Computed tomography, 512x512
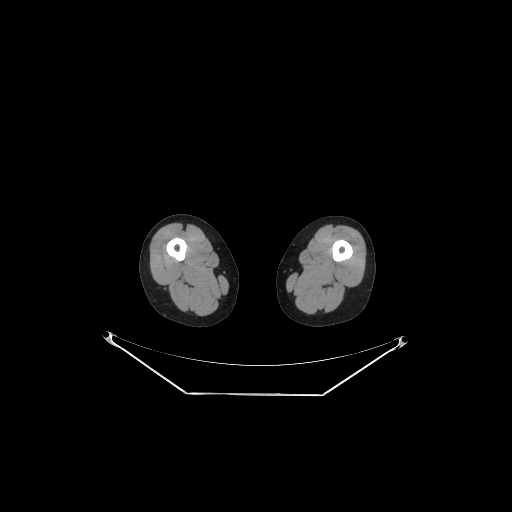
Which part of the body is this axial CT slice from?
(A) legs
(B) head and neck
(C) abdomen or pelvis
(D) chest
Answer: (A) legs
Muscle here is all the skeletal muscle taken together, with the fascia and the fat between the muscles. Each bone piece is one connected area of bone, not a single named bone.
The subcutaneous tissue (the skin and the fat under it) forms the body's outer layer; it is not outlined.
{"bones":[[[337,239],[344,239],[348,242],[349,242],[351,244],[352,246],[352,249],[353,250],[353,253],[350,258],[346,260],[343,260],[342,261],[340,261],[339,262],[337,262],[333,259],[332,257],[332,251],[331,250],[331,247],[332,246],[332,244],[333,242]],[[174,237],[180,237],[181,238],[183,238],[185,240],[187,244],[187,248],[185,252],[185,257],[184,259],[181,261],[178,261],[176,260],[173,257],[171,257],[169,255],[168,255],[166,251],[166,244],[167,242],[170,239]]],"left_leg":[[[327,215],[344,215],[351,217],[358,221],[367,230],[372,240],[375,251],[376,275],[369,301],[366,307],[359,315],[346,322],[321,327],[312,327],[298,323],[292,320],[282,311],[278,303],[276,295],[276,272],[278,264],[282,256],[295,235],[310,222]]],"right_leg":[[[178,213],[191,214],[197,216],[212,225],[225,241],[238,268],[239,288],[237,299],[232,311],[222,321],[207,327],[192,327],[183,325],[163,317],[156,312],[150,305],[141,285],[138,272],[138,261],[142,242],[146,234],[152,226],[159,220],[166,216]]],"muscle":[{"outer":[[172,222],[187,222],[198,226],[208,238],[213,249],[219,257],[222,269],[229,283],[229,289],[227,294],[220,302],[218,309],[210,315],[199,317],[188,315],[179,311],[175,308],[169,297],[165,292],[162,291],[151,276],[149,269],[150,241],[158,229]],"hole":[[174,237],[180,237],[181,238],[183,238],[185,240],[187,244],[187,248],[185,252],[185,257],[184,259],[181,261],[178,261],[176,260],[173,257],[171,257],[169,255],[168,255],[166,251],[166,244],[167,242],[170,239]]},{"outer":[[331,223],[351,226],[362,235],[366,245],[366,266],[364,277],[359,285],[352,288],[345,295],[343,302],[334,312],[326,315],[306,315],[295,307],[294,302],[290,298],[286,290],[285,282],[287,277],[296,268],[299,253],[306,247],[317,229],[325,224]],"hole":[[337,239],[344,239],[348,242],[349,242],[351,244],[352,246],[352,249],[353,250],[353,253],[350,258],[346,260],[343,260],[342,261],[340,261],[339,262],[337,262],[333,259],[332,257],[332,251],[331,250],[331,247],[332,246],[332,244],[333,242]]}]}